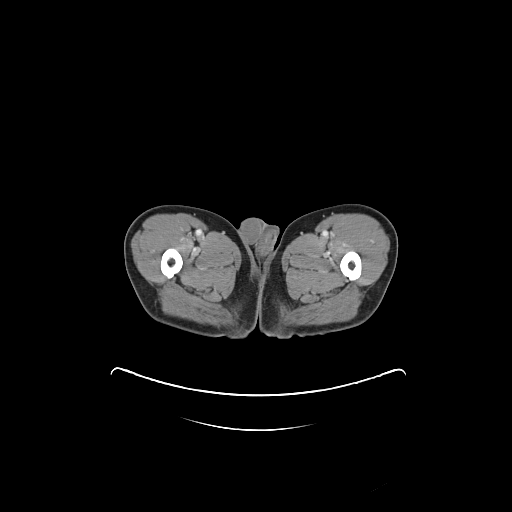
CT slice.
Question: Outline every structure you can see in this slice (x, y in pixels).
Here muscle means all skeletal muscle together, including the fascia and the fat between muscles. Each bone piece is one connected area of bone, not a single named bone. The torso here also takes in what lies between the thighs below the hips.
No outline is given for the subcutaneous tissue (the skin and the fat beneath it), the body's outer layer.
Answer: {"muscle":[{"outer":[[354,211],[358,213],[364,213],[375,218],[384,229],[390,242],[389,258],[387,264],[357,314],[346,321],[332,322],[320,325],[288,326],[281,323],[280,320],[288,302],[286,284],[281,266],[281,257],[286,246],[299,233],[316,224],[331,213],[346,213]],"hole":[[349,250],[353,250],[357,252],[360,256],[360,258],[361,259],[361,273],[359,277],[354,280],[350,280],[348,277],[345,276],[342,273],[340,269],[340,267],[339,266],[339,263],[340,262],[340,260],[342,256],[347,251]]},{"outer":[[159,212],[184,212],[192,214],[206,224],[220,231],[224,231],[236,243],[241,253],[241,265],[233,291],[229,297],[229,310],[235,319],[235,324],[217,327],[167,315],[161,310],[152,290],[138,271],[133,261],[130,245],[133,235],[143,220],[146,217]],"hole":[[170,247],[176,248],[178,250],[178,251],[180,253],[182,257],[183,263],[182,264],[182,267],[181,269],[172,277],[168,278],[165,275],[164,275],[161,271],[161,269],[160,268],[160,260],[161,259],[161,256],[163,252],[167,248],[169,248]]}],"torso":[[[251,216],[258,217],[267,223],[274,223],[279,227],[279,233],[276,240],[276,244],[271,256],[267,270],[265,273],[260,290],[259,289],[254,266],[252,262],[252,259],[248,249],[248,246],[241,236],[240,232],[237,227],[239,226],[240,222],[243,219]]],"left_leg":[[[342,203],[361,203],[371,206],[382,212],[391,221],[396,230],[398,237],[397,263],[391,281],[378,308],[371,317],[362,324],[325,335],[308,337],[294,336],[289,339],[278,339],[262,334],[257,327],[260,291],[276,245],[284,229],[291,221],[305,213]]],"bones":[[[170,247],[176,248],[178,250],[178,251],[180,253],[182,257],[183,263],[182,264],[182,267],[181,269],[172,277],[168,278],[165,275],[164,275],[161,271],[161,269],[160,268],[160,260],[161,259],[161,256],[163,252],[167,248],[169,248]],[[349,250],[353,250],[357,252],[360,256],[360,258],[361,259],[361,273],[359,277],[354,280],[350,280],[348,277],[345,276],[342,273],[340,269],[340,267],[339,266],[339,263],[340,262],[340,260],[342,256],[347,251]]],"right_leg":[[[161,204],[183,204],[204,208],[223,216],[237,228],[240,236],[247,246],[259,290],[257,325],[247,338],[245,339],[228,339],[225,337],[205,337],[193,334],[156,322],[143,309],[126,273],[123,256],[124,236],[127,228],[131,222],[141,212],[150,207]]]}